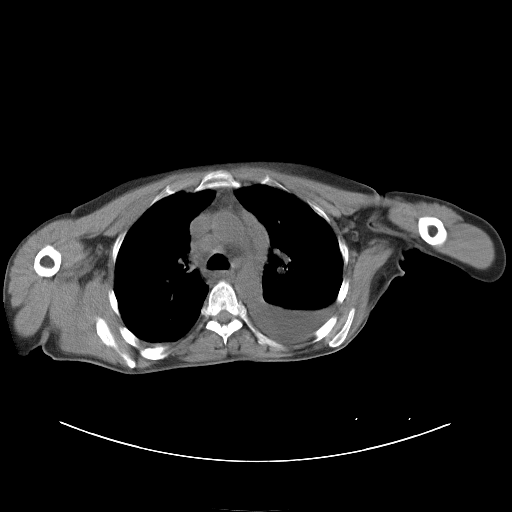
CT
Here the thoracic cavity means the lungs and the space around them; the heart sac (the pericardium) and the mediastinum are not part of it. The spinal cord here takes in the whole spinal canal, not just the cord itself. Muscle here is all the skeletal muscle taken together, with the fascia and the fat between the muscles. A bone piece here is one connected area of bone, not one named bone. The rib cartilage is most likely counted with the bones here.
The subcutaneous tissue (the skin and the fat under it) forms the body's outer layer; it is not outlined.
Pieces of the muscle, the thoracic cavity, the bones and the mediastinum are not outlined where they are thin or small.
{"spinal_cord":[[[222,310],[225,310],[226,311],[227,311],[231,315],[231,318],[230,319],[230,320],[229,321],[228,321],[227,322],[226,322],[225,323],[221,323],[216,318],[216,317],[217,316],[217,315],[220,312],[220,311],[221,311]]],"thoracic_cavity":[[[253,183],[278,188],[307,204],[331,227],[342,258],[342,278],[330,306],[329,317],[311,336],[299,341],[274,339],[260,331],[251,321],[243,302],[253,301],[262,293],[262,276],[268,261],[269,238],[266,228],[239,201],[235,193],[236,189],[248,187]],[[208,189],[213,192],[213,198],[188,225],[189,247],[195,256],[195,267],[209,289],[200,308],[198,322],[182,339],[174,343],[148,345],[141,341],[126,326],[119,309],[114,289],[115,265],[119,251],[130,228],[155,203],[181,190],[188,193],[196,193]]],"torso":[[[243,160],[305,163],[372,187],[378,192],[373,214],[381,228],[419,249],[404,253],[400,263],[404,274],[391,281],[365,325],[345,347],[298,361],[233,361],[133,375],[88,362],[54,360],[43,352],[41,347],[104,249],[91,229],[66,211],[134,177]]],"mediastinum":[[[220,187],[235,189],[234,193],[238,201],[255,216],[263,225],[267,233],[267,261],[263,266],[261,276],[261,293],[253,300],[241,300],[233,286],[224,279],[218,280],[210,289],[196,267],[196,256],[190,247],[190,222],[212,201],[215,195],[212,189]]],"muscle":[{"outer":[[244,165],[377,198],[440,203],[489,236],[495,252],[489,267],[477,269],[435,250],[431,246],[442,245],[448,236],[438,217],[417,219],[424,241],[419,241],[388,225],[387,206],[371,206],[336,218],[339,230],[358,252],[373,238],[389,239],[393,252],[375,274],[358,326],[346,339],[356,312],[351,307],[326,348],[284,357],[230,353],[202,361],[173,357],[136,368],[137,362],[119,348],[101,316],[95,317],[97,336],[127,367],[64,352],[54,332],[17,334],[8,298],[9,273],[32,234],[54,220],[84,216],[169,175],[215,169],[189,190],[184,189],[192,179],[168,183],[114,239],[114,284],[107,298],[124,322],[118,328],[121,337],[153,361],[166,358],[170,345],[182,340],[199,319],[198,326],[216,333],[225,345],[244,326],[259,345],[277,350],[285,349],[278,341],[299,342],[313,336],[310,342],[315,343],[325,338],[338,320],[335,314],[330,316],[331,306],[343,302],[350,286],[350,280],[342,277],[348,245],[336,237],[318,204],[309,199],[306,203],[267,173],[257,182],[237,180],[225,169]],"hole":[[47,244],[50,244],[52,245],[58,251],[59,251],[61,254],[61,262],[59,266],[59,269],[52,276],[49,276],[48,277],[46,277],[45,276],[40,276],[38,275],[34,270],[34,268],[33,267],[33,265],[34,264],[34,259],[36,254],[42,247]]}],"right_arm":[[[62,212],[67,213],[90,229],[103,247],[103,249],[98,261],[70,306],[67,309],[64,316],[53,333],[41,346],[38,346],[26,356],[21,356],[18,352],[12,337],[3,301],[3,280],[4,279],[6,265],[11,253],[20,240],[26,234],[44,220]]],"left_arm":[[[390,190],[414,192],[441,198],[479,215],[487,220],[498,232],[506,252],[506,266],[501,277],[496,281],[490,283],[475,279],[466,274],[458,267],[436,257],[423,253],[418,247],[406,239],[391,234],[382,228],[374,214],[374,198],[377,193],[382,193]]],"bones":[{"outer":[[220,280],[224,280],[232,286],[237,297],[244,304],[252,324],[266,336],[281,343],[284,349],[277,349],[265,344],[259,344],[255,335],[246,325],[234,331],[227,338],[225,344],[222,337],[216,332],[206,329],[203,325],[199,326],[201,308],[211,288]],"hole":[[222,310],[225,310],[226,311],[227,311],[231,315],[231,318],[230,319],[230,320],[229,321],[228,321],[227,322],[226,322],[225,323],[221,323],[216,318],[216,317],[217,316],[217,315],[220,312],[220,311],[221,311]]},[[47,244],[50,244],[52,245],[58,251],[59,251],[61,254],[61,262],[59,266],[59,269],[52,276],[49,276],[48,277],[46,277],[45,276],[40,276],[38,275],[34,270],[34,268],[33,267],[33,265],[34,264],[34,259],[36,254],[42,247]],[[422,216],[433,216],[434,217],[436,217],[438,218],[442,222],[447,232],[447,236],[446,237],[446,239],[445,241],[442,244],[440,244],[439,245],[431,245],[427,243],[420,236],[419,234],[419,232],[418,231],[418,219]],[[216,169],[224,169],[228,171],[237,181],[239,181],[242,184],[242,186],[238,188],[234,188],[229,186],[220,186],[211,189],[208,188],[207,189],[203,189],[194,192],[193,191],[193,188],[200,182],[204,175],[207,172]],[[121,326],[125,326],[139,339],[140,347],[141,348],[149,346],[155,346],[156,345],[169,345],[168,349],[169,350],[169,354],[162,359],[155,359],[154,360],[147,359],[143,357],[139,353],[139,349],[138,348],[134,347],[124,340],[119,331],[119,328]],[[96,317],[101,317],[106,322],[111,333],[114,337],[118,348],[121,351],[126,352],[129,356],[136,362],[136,366],[135,367],[133,368],[128,367],[124,359],[117,351],[114,348],[110,346],[107,346],[101,340],[96,331],[96,327],[95,326]],[[353,307],[355,309],[354,316],[353,317],[352,322],[350,325],[350,327],[348,330],[348,332],[346,335],[346,337],[344,341],[341,344],[340,344],[336,347],[330,347],[328,343],[330,341],[330,340],[341,329],[341,328],[345,323],[347,315],[350,309]],[[181,180],[192,180],[193,181],[190,185],[187,186],[183,189],[178,190],[174,193],[172,193],[165,197],[163,197],[161,199],[155,202],[149,207],[149,204],[155,197],[155,196],[156,196],[168,184],[171,184],[174,182],[176,182],[177,181],[180,181]],[[333,315],[335,315],[337,317],[337,320],[336,321],[336,323],[334,325],[332,329],[329,332],[329,333],[325,337],[322,338],[320,340],[318,341],[316,341],[315,342],[311,342],[311,341],[314,338],[313,333],[325,322],[326,322],[327,320],[331,316]],[[125,230],[126,230],[127,232],[122,241],[122,243],[120,246],[120,248],[118,251],[118,253],[116,257],[116,261],[115,262],[115,264],[114,264],[113,262],[113,260],[112,259],[112,248],[113,247],[113,244],[117,236],[120,233],[121,233]],[[344,277],[347,278],[349,280],[349,286],[347,290],[347,293],[344,299],[341,303],[336,303],[335,302],[335,300],[337,297],[337,295],[338,294],[338,292],[339,291],[339,289],[340,288],[340,286],[342,282],[342,279]],[[267,174],[272,179],[275,180],[277,182],[280,183],[283,186],[284,186],[287,189],[287,191],[285,190],[283,190],[278,187],[275,187],[274,186],[271,186],[267,184],[263,184],[262,183],[260,183],[258,182],[257,180],[257,178],[258,177],[262,177]],[[338,237],[342,239],[346,243],[347,245],[347,247],[348,248],[348,261],[347,262],[347,264],[345,266],[343,266],[343,258],[340,252],[340,249],[339,248],[339,245],[338,244],[338,241],[337,240],[337,238]],[[111,288],[112,288],[114,290],[114,293],[115,294],[115,296],[116,297],[116,299],[117,300],[117,304],[118,305],[118,309],[120,312],[120,316],[118,316],[116,314],[116,313],[110,305],[110,302],[109,301],[109,299],[108,298],[108,291]],[[308,200],[309,200],[310,201],[311,201],[312,202],[315,203],[317,205],[318,205],[325,212],[325,213],[328,216],[328,217],[330,220],[330,222],[329,223],[328,223],[321,216],[318,215],[312,209],[312,208],[307,203],[307,201]]]}